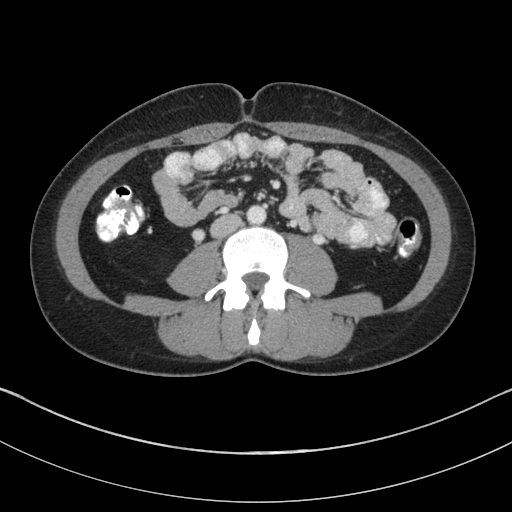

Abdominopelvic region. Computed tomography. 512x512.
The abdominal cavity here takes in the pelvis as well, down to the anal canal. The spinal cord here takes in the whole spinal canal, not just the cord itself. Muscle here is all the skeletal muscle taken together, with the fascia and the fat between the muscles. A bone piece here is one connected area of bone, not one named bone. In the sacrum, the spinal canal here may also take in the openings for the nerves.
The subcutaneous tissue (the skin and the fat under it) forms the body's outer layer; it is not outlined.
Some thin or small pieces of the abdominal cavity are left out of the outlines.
The bones are outlined by [[251,345],[259,341],[255,311],[260,303],[266,309],[283,309],[287,289],[305,298],[310,296],[307,289],[285,279],[286,242],[266,226],[244,227],[227,238],[221,250],[225,277],[204,295],[208,301],[222,289],[224,310],[251,305],[254,313],[247,333]], around a hole outlined by [[253,291],[257,291],[262,288],[262,287],[263,286],[264,283],[268,279],[268,276],[266,274],[265,274],[264,273],[260,273],[259,272],[252,272],[251,273],[248,273],[247,274],[244,275],[242,277],[242,279],[246,283],[248,289],[250,289]]. The abdominal cavity is outlined by [[385,307],[417,281],[428,221],[406,182],[360,146],[242,124],[207,143],[140,153],[99,188],[82,218],[88,272],[119,302],[128,292],[182,298],[166,277],[196,245],[217,240],[221,249],[241,227],[266,225],[329,254],[338,273],[330,296],[366,290]]. The spinal cord is outlined by [[253,291],[257,291],[262,288],[262,287],[263,286],[264,283],[268,279],[268,276],[266,274],[265,274],[264,273],[260,273],[259,272],[252,272],[251,273],[248,273],[247,274],[244,275],[242,277],[242,279],[246,283],[248,289],[250,289]]. The torso is outlined by [[170,377],[217,373],[249,361],[304,375],[342,375],[431,345],[458,314],[475,266],[473,217],[456,179],[401,125],[350,96],[308,83],[270,82],[249,98],[224,82],[188,84],[112,120],[66,162],[39,202],[29,241],[33,290],[48,325],[78,353]]. The muscle is outlined by [[284,361],[311,361],[312,360],[326,358],[339,353],[350,342],[355,327],[362,318],[368,316],[389,315],[407,311],[413,308],[422,301],[431,292],[435,285],[439,281],[445,271],[450,253],[450,246],[452,239],[450,219],[447,207],[438,188],[432,181],[429,175],[418,164],[408,157],[392,149],[389,149],[379,144],[364,140],[358,136],[337,128],[324,126],[323,125],[317,125],[306,122],[295,122],[294,121],[262,122],[254,119],[243,119],[242,120],[238,120],[233,123],[229,123],[228,122],[211,122],[210,123],[205,123],[192,126],[181,131],[169,134],[164,137],[153,139],[128,149],[119,151],[112,154],[109,154],[97,160],[85,170],[70,188],[61,204],[58,214],[57,224],[56,225],[56,232],[55,233],[55,245],[58,258],[65,272],[67,279],[78,291],[91,299],[101,301],[117,309],[151,317],[153,320],[153,324],[155,327],[157,336],[160,341],[168,350],[176,354],[186,357],[195,357],[197,359],[205,358],[207,360],[227,360],[247,352],[255,352],[256,353],[262,353],[274,359],[283,360]] with a hole at [[251,345],[259,341],[255,311],[260,303],[283,309],[287,289],[310,296],[284,277],[285,232],[307,236],[329,254],[338,273],[330,296],[366,290],[388,307],[417,281],[429,248],[425,212],[406,182],[371,151],[242,124],[207,143],[144,151],[94,194],[82,218],[79,243],[102,291],[119,302],[128,292],[182,298],[166,277],[196,245],[217,240],[225,277],[204,299],[222,289],[224,310],[249,303],[254,311],[247,333]].